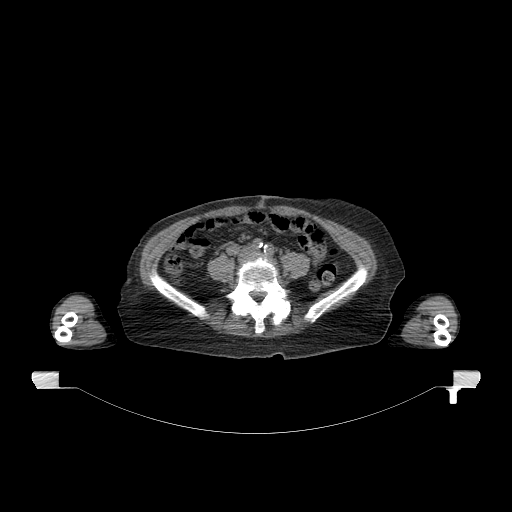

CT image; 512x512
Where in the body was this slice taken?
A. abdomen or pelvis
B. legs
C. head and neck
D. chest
Answer: A. abdomen or pelvis
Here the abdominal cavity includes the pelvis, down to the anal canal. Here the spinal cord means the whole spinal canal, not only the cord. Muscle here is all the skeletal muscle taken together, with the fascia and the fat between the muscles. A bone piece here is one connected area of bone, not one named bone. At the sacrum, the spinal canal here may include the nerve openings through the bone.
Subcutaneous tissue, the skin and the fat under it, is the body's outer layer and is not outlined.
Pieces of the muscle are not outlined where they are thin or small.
{"muscle":[[[259,202],[306,210],[347,227],[369,242],[377,261],[376,273],[373,279],[352,299],[322,315],[364,284],[368,268],[362,263],[356,268],[353,258],[324,227],[312,218],[299,214],[278,213],[267,208],[252,208],[231,215],[202,217],[188,224],[175,237],[171,246],[160,256],[157,270],[152,268],[148,277],[156,290],[177,306],[144,286],[139,275],[139,261],[143,247],[150,237],[172,223],[189,216],[226,206],[254,205]],[[221,254],[231,258],[235,266],[235,285],[223,296],[231,301],[230,310],[234,315],[250,315],[254,320],[255,333],[249,337],[218,333],[193,316],[206,319],[209,316],[206,307],[198,302],[217,296],[220,289],[228,285],[213,279],[207,271],[208,262]],[[437,295],[448,299],[456,313],[457,327],[453,337],[452,338],[448,330],[450,325],[449,319],[443,313],[439,312],[432,318],[432,323],[435,327],[432,333],[435,346],[414,344],[405,341],[401,336],[402,329],[417,313],[416,308],[418,305],[422,301]],[[72,295],[84,296],[92,303],[95,313],[94,318],[102,325],[106,332],[106,337],[102,342],[91,345],[65,344],[71,340],[73,335],[72,328],[78,321],[78,315],[72,310],[66,311],[61,316],[60,323],[54,331],[53,318],[55,311],[68,297]],[[339,285],[332,292],[308,307],[303,318],[312,324],[305,329],[276,337],[267,336],[262,333],[266,329],[264,320],[270,314],[272,315],[271,322],[275,326],[278,326],[289,316],[292,308],[288,298],[290,290],[305,296],[306,300],[314,300],[322,293]],[[293,252],[303,254],[309,259],[309,267],[308,268],[308,271],[307,273],[304,275],[295,279],[291,279],[287,281],[286,283],[283,285],[280,281],[286,281],[287,280],[287,278],[283,273],[283,269],[282,268],[282,257],[285,254],[289,254]]],"bones":[{"outer":[[260,259],[271,262],[277,268],[278,282],[289,290],[287,298],[291,308],[288,316],[278,325],[273,324],[271,313],[267,315],[263,320],[265,329],[256,333],[255,320],[251,315],[234,314],[231,310],[232,301],[224,295],[235,287],[236,273],[240,265]],"hole":[[252,291],[255,291],[256,292],[264,292],[265,293],[265,295],[263,297],[263,298],[260,301],[257,301],[256,300],[255,300],[251,296],[251,295],[250,294],[250,293]]},[[361,264],[364,265],[367,268],[367,275],[366,276],[366,279],[363,284],[362,284],[358,288],[358,289],[357,289],[354,292],[350,293],[342,299],[334,303],[314,322],[311,323],[305,320],[304,315],[307,312],[309,307],[315,302],[329,295],[336,290]],[[152,269],[156,270],[168,283],[173,286],[177,290],[180,291],[189,298],[203,305],[205,307],[208,316],[204,319],[200,319],[198,317],[193,315],[189,311],[183,309],[181,307],[178,306],[174,302],[160,293],[152,284],[150,280],[149,274],[150,271]],[[69,311],[72,311],[74,312],[77,315],[77,321],[71,328],[72,335],[71,336],[71,338],[70,340],[68,342],[65,342],[64,343],[62,343],[58,341],[54,337],[54,332],[57,328],[57,327],[61,323],[61,318],[62,316],[66,312],[68,312]],[[439,313],[441,314],[443,314],[448,319],[448,321],[449,322],[449,325],[447,327],[447,330],[449,332],[451,336],[451,341],[446,346],[438,346],[435,343],[434,341],[434,338],[433,337],[433,333],[436,329],[436,327],[433,323],[433,318],[437,314]]],"right_arm":[[[77,290],[85,291],[91,294],[95,298],[100,307],[103,316],[108,322],[116,337],[116,343],[113,346],[108,348],[94,349],[93,350],[73,350],[72,349],[63,348],[56,344],[54,338],[50,333],[48,324],[51,309],[55,303],[61,297],[69,292]]],"torso":[[[255,194],[337,197],[369,209],[382,220],[403,261],[405,276],[391,299],[392,320],[379,342],[297,359],[286,360],[279,354],[267,358],[237,359],[141,345],[125,336],[116,309],[119,289],[126,277],[125,267],[129,255],[146,227],[173,212],[205,200]]],"spinal_cord":[[[252,291],[255,291],[256,292],[264,292],[265,293],[265,295],[263,297],[263,298],[260,301],[257,301],[256,300],[255,300],[251,296],[251,295],[250,294],[250,293]]],"left_arm":[[[435,291],[447,293],[453,298],[456,303],[456,305],[461,315],[461,326],[457,337],[446,347],[441,349],[414,349],[406,347],[393,347],[389,346],[387,340],[389,336],[394,332],[400,324],[404,312],[410,303],[416,298],[425,293],[434,292]]],"abdominal_cavity":[{"outer":[[252,209],[312,219],[352,258],[355,270],[334,288],[306,299],[281,285],[279,270],[271,261],[243,261],[235,278],[234,260],[221,253],[207,262],[206,271],[213,280],[227,285],[217,295],[196,301],[158,272],[161,256],[188,225],[202,218],[231,216]],"hole":[[293,252],[303,254],[309,259],[309,267],[308,268],[308,271],[307,273],[304,275],[295,279],[291,279],[287,281],[286,283],[283,285],[280,281],[286,281],[287,280],[287,278],[283,273],[283,269],[282,268],[282,257],[285,254],[289,254]]}]}